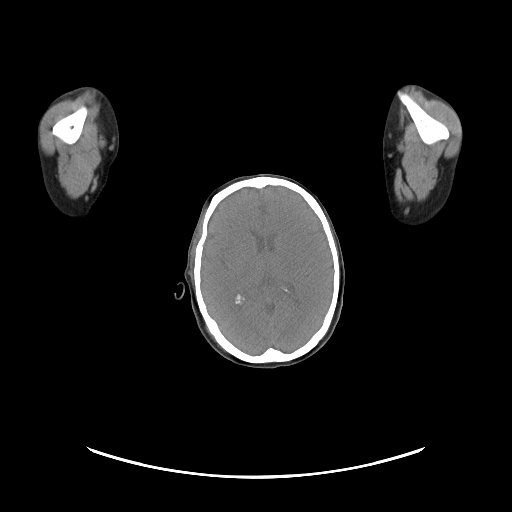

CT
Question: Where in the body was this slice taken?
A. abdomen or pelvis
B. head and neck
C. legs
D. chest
Answer: B. head and neck
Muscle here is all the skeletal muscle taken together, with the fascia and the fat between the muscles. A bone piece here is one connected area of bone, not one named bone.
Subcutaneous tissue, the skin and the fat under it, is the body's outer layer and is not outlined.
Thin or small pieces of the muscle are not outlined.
Outlines (x, y in pixels):
brain: [[266,186],[284,187],[297,193],[318,218],[331,255],[333,270],[332,292],[321,324],[303,344],[289,352],[269,346],[260,353],[252,354],[242,350],[230,341],[221,331],[216,320],[210,315],[200,285],[201,268],[209,220],[220,202],[242,188],[261,189]]
left arm: [[408,83],[420,85],[445,99],[455,110],[462,129],[462,145],[455,169],[452,188],[448,199],[440,211],[433,218],[423,224],[416,226],[402,224],[397,221],[390,213],[388,197],[385,187],[382,156],[382,140],[384,126],[391,100],[396,90],[400,86]]
right arm: [[85,85],[96,86],[103,90],[108,96],[112,104],[117,121],[119,146],[117,155],[109,169],[106,184],[91,207],[89,213],[81,219],[70,219],[64,216],[56,209],[46,192],[42,179],[40,161],[36,146],[37,127],[43,114],[55,98],[67,91]]
head 1: [[258,173],[273,173],[290,177],[301,183],[319,198],[335,228],[345,267],[343,305],[331,337],[316,353],[303,361],[275,368],[252,368],[236,364],[222,357],[207,343],[196,325],[191,308],[190,291],[183,274],[188,246],[207,196],[214,188],[234,177]]
head 2: [[179,281],[182,281],[185,285],[185,289],[184,290],[184,292],[183,293],[183,296],[181,299],[177,299],[176,298],[175,298],[175,297],[174,296],[174,293],[176,293],[176,294],[177,295],[180,295],[182,293],[182,287],[180,285],[177,285],[177,284]]
muscle 1: [[406,89],[419,90],[427,97],[447,105],[457,119],[461,135],[458,153],[437,193],[425,207],[411,216],[400,214],[394,207],[391,197],[398,102],[399,100],[405,107],[425,145],[431,146],[447,140],[450,132],[444,123],[429,114],[411,95],[404,92]]
muscle 2: [[85,90],[95,91],[101,99],[101,103],[105,110],[109,128],[109,142],[107,146],[107,153],[102,160],[101,180],[96,192],[88,202],[78,203],[64,195],[56,179],[46,165],[44,157],[39,149],[38,128],[43,114],[50,107],[68,96]] with a hole at [[81,105],[84,105],[87,108],[88,110],[87,115],[85,118],[85,120],[83,124],[83,127],[82,128],[82,131],[81,132],[81,134],[79,138],[73,144],[67,144],[63,141],[62,141],[58,137],[55,136],[52,133],[52,127],[58,120],[74,112]]
muscle 3: [[204,211],[204,214],[202,219],[202,223],[201,224],[201,233],[194,249],[194,259],[193,260],[193,268],[192,269],[192,272],[193,273],[193,285],[191,278],[188,272],[189,270],[189,263],[190,262],[191,248],[197,231],[197,228],[199,225],[200,220]]
muscle 4: [[204,323],[204,324],[205,325],[205,326],[206,327],[206,328],[207,329],[207,330],[208,331],[208,332],[213,337],[213,338],[214,339],[214,340],[213,339],[212,339],[212,338],[209,335],[209,334],[206,331],[206,330],[205,329],[205,328],[204,327]]
bones 1: [[256,176],[287,179],[309,192],[316,199],[328,220],[338,252],[339,291],[330,325],[324,336],[313,348],[305,354],[288,361],[253,363],[239,359],[224,350],[209,332],[198,309],[194,293],[193,269],[195,249],[202,233],[205,211],[212,196],[233,182]] with a hole at [[266,186],[284,187],[297,193],[318,218],[331,255],[333,270],[332,292],[321,324],[303,344],[289,352],[269,346],[260,353],[252,354],[242,350],[230,341],[221,331],[216,320],[210,315],[200,285],[201,268],[209,220],[220,202],[242,188],[261,189]]
bones 2: [[400,91],[404,93],[407,93],[410,96],[411,96],[413,99],[429,115],[444,124],[447,127],[449,132],[449,136],[448,138],[445,140],[440,140],[431,145],[425,144],[422,141],[414,124],[414,122],[411,118],[406,107],[400,101],[398,97],[398,92]]
bones 3: [[81,105],[84,105],[87,108],[88,110],[87,115],[85,118],[85,120],[83,124],[83,127],[82,128],[82,131],[81,132],[81,134],[79,138],[73,144],[67,144],[63,141],[62,141],[58,137],[55,136],[52,133],[52,127],[58,120],[74,112]]